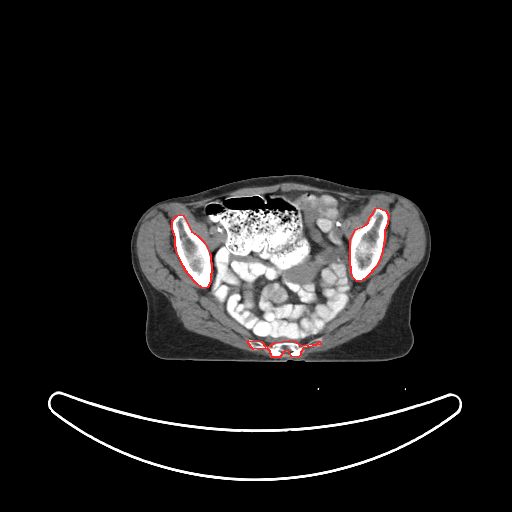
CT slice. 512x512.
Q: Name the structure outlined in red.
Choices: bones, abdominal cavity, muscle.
A: red: bones.
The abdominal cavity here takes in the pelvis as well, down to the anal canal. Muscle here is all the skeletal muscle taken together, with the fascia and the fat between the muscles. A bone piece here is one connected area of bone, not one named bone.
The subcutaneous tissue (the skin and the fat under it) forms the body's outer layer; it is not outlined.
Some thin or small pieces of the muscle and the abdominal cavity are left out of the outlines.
Outlined structures:
bones 1: (377, 207) (385, 210) (388, 215) (387, 223) (384, 230) (384, 242) (383, 243) (382, 251) (379, 260) (375, 267) (367, 276) (362, 280) (357, 281) (354, 279) (351, 273) (351, 267) (350, 266) (350, 240) (355, 229) (366, 224) (368, 222) (370, 216) (373, 213) (375, 208)
bones 2: (180, 214) (183, 215) (191, 231) (197, 235) (204, 242) (210, 254) (211, 269) (212, 271) (210, 274) (210, 282) (207, 287) (205, 288) (201, 287) (196, 283) (188, 274) (181, 263) (181, 261) (176, 251) (176, 248) (175, 247) (175, 237) (172, 228) (172, 220) (177, 215)
bones 3: (248, 340) (261, 341) (265, 346) (270, 345) (274, 342) (289, 340) (295, 341) (300, 345) (317, 343) (319, 341) (320, 344) (303, 348) (300, 352) (300, 355) (297, 357) (291, 356) (288, 350) (284, 351) (279, 357) (272, 357) (270, 351) (267, 348) (253, 349) (247, 342)
abdominal cavity: (279, 189) (325, 192) (366, 201) (359, 213) (349, 219) (345, 233) (349, 240) (348, 301) (319, 334) (306, 344) (289, 339) (265, 345) (250, 329) (227, 312) (211, 290) (214, 282) (211, 254) (218, 246) (220, 237) (210, 232) (193, 213) (196, 208) (220, 196) (267, 193)
torso: (282, 174) (303, 174) (354, 187) (392, 191) (411, 199) (421, 209) (430, 229) (431, 252) (411, 302) (414, 343) (410, 351) (386, 361) (309, 363) (172, 361) (152, 354) (145, 340) (146, 300) (130, 257) (130, 238) (140, 216) (150, 206) (167, 198) (193, 194) (240, 179)
muscle: (282, 182) (404, 199) (417, 210) (426, 240) (422, 260) (399, 284) (383, 318) (371, 330) (300, 358) (303, 349) (321, 344) (320, 340) (309, 342) (349, 301) (349, 265) (353, 279) (360, 282) (378, 264) (389, 217) (385, 209) (375, 207) (367, 222) (356, 227) (349, 239) (346, 233) (350, 219) (360, 213) (367, 201) (365, 199) (351, 199) (325, 191) (280, 188) (267, 192) (220, 195) (192, 211) (210, 233) (219, 237) (211, 253) (205, 242) (192, 231) (182, 213) (171, 220) (175, 251) (187, 274) (203, 289) (211, 284) (212, 274) (212, 295) (234, 320) (260, 340) (248, 339) (248, 345) (253, 350) (267, 349) (271, 357) (186, 329) (170, 301) (143, 274) (136, 252) (137, 235) (144, 218) (161, 204) (188, 203) (243, 187)